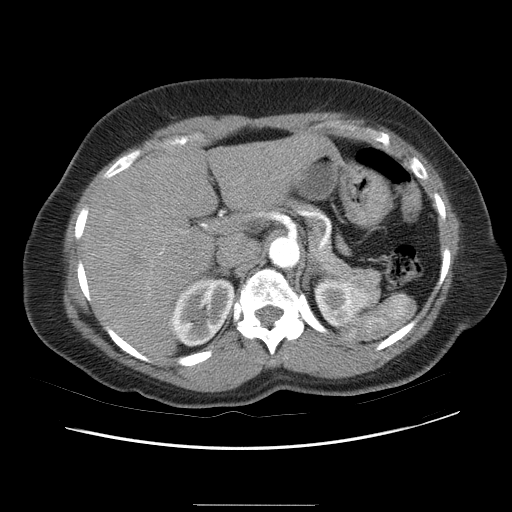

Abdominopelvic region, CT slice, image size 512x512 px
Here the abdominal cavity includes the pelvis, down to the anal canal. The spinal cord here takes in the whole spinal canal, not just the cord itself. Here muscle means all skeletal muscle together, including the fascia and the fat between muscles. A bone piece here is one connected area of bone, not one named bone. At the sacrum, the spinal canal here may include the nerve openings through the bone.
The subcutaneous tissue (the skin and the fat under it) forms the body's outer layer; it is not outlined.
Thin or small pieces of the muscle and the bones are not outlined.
{"abdominal_cavity":[[[244,128],[350,138],[390,153],[419,179],[437,212],[441,262],[437,281],[413,319],[379,341],[346,343],[280,271],[263,267],[241,284],[227,327],[199,351],[146,355],[106,324],[92,300],[82,261],[81,238],[98,188],[142,156],[208,143]]],"torso":[[[280,76],[338,77],[382,88],[410,103],[438,130],[476,179],[507,261],[505,283],[487,315],[435,365],[407,383],[349,396],[278,390],[239,406],[176,407],[120,392],[46,346],[23,306],[25,244],[40,208],[91,126],[114,106],[158,85],[205,77]]],"bones":[{"outer":[[263,268],[273,268],[280,272],[298,295],[304,295],[314,315],[329,331],[327,333],[320,332],[305,323],[303,331],[297,338],[289,340],[284,337],[279,342],[273,356],[261,339],[250,339],[243,336],[233,321],[234,303],[246,279],[257,270]],"hole":[[267,305],[271,305],[272,306],[275,306],[276,307],[278,307],[279,308],[280,308],[282,310],[282,314],[276,320],[275,320],[274,321],[274,322],[272,324],[272,326],[269,328],[268,327],[263,326],[262,325],[260,320],[256,316],[256,311]]},[[334,119],[341,119],[353,124],[364,125],[374,131],[377,130],[387,133],[389,135],[390,139],[389,151],[378,146],[357,141],[347,135],[340,134],[339,133],[340,132],[337,130],[323,129],[322,128],[319,129],[311,128],[319,123],[322,123]],[[195,132],[202,133],[204,135],[204,139],[199,139],[192,142],[188,142],[183,145],[175,145],[168,148],[147,150],[125,169],[116,173],[109,178],[104,178],[102,176],[120,157],[135,149],[143,148],[148,144],[152,144],[165,137],[174,135],[185,135]],[[105,325],[107,325],[109,326],[109,327],[111,328],[121,338],[122,338],[131,346],[135,348],[139,352],[147,356],[152,361],[152,362],[147,362],[146,361],[141,360],[127,353],[121,348],[120,348],[112,340],[112,339],[108,334],[107,331],[105,329]],[[415,318],[417,320],[416,323],[412,327],[412,328],[400,339],[397,340],[392,344],[382,349],[380,349],[379,350],[376,350],[375,349],[376,346],[380,341],[385,339],[392,333],[395,332],[397,330],[398,330],[400,328],[401,328],[403,326],[404,326]],[[207,350],[211,350],[212,352],[211,353],[211,355],[207,359],[201,362],[199,362],[194,365],[181,365],[179,364],[175,360],[176,358],[180,356],[184,356],[185,355],[192,354],[196,352],[199,352],[200,351],[206,351]],[[445,247],[447,247],[450,251],[450,263],[449,264],[449,267],[448,268],[447,273],[445,276],[445,278],[443,282],[441,285],[438,288],[437,288],[437,283],[438,282],[438,279],[440,274],[440,268],[441,267],[441,263],[442,262],[442,251],[445,248]],[[78,260],[81,260],[83,264],[83,268],[84,269],[85,275],[86,276],[86,279],[87,280],[87,285],[89,290],[89,294],[91,298],[91,300],[90,301],[87,300],[85,297],[79,284],[79,281],[77,276],[77,263],[78,262]],[[85,205],[87,205],[88,206],[88,212],[87,213],[87,217],[85,220],[85,224],[83,228],[83,231],[82,232],[81,237],[79,239],[76,239],[74,235],[74,228],[75,227],[75,223],[76,222],[76,219],[78,216],[78,214],[80,210]],[[412,156],[415,156],[422,163],[422,164],[424,166],[424,167],[425,168],[425,169],[427,172],[427,174],[428,175],[428,177],[426,179],[421,179],[420,178],[419,178],[418,177],[417,177],[414,174],[414,173],[408,167],[408,165],[409,164],[409,159]],[[435,192],[438,193],[438,194],[442,199],[442,200],[443,201],[443,203],[445,206],[445,220],[442,220],[441,219],[441,218],[439,216],[439,215],[438,214],[438,212],[436,209],[436,206],[435,205],[435,201],[434,200],[434,198],[433,197],[433,194]]],"muscle":[{"outer":[[312,110],[344,112],[353,116],[359,116],[362,118],[372,120],[379,125],[387,127],[421,152],[432,164],[444,183],[444,187],[447,192],[452,209],[460,221],[459,226],[460,248],[458,251],[457,258],[455,260],[455,267],[453,269],[453,277],[451,287],[447,294],[447,299],[441,307],[439,314],[433,323],[432,327],[421,339],[385,363],[381,367],[372,371],[358,374],[347,378],[317,379],[306,374],[294,373],[287,370],[282,370],[281,373],[273,373],[271,371],[263,371],[252,379],[234,389],[220,392],[200,392],[186,389],[168,382],[161,381],[156,378],[150,377],[144,373],[124,366],[112,359],[108,358],[99,349],[90,343],[87,339],[83,338],[80,333],[74,329],[66,315],[62,300],[63,294],[62,289],[64,280],[63,277],[64,271],[62,263],[63,240],[65,230],[75,204],[78,201],[84,189],[98,171],[127,148],[145,140],[156,129],[166,126],[172,122],[175,122],[184,118],[201,115],[217,116],[222,114],[238,114],[251,118],[257,118],[262,116],[287,114],[288,113],[299,113]],"hole":[[334,119],[387,133],[388,152],[407,167],[415,156],[427,172],[428,177],[419,181],[433,207],[435,192],[445,206],[445,220],[438,214],[437,221],[440,252],[445,247],[450,251],[449,267],[441,285],[437,288],[435,284],[415,316],[412,328],[376,350],[378,341],[350,344],[331,331],[320,332],[305,323],[301,334],[290,340],[284,337],[272,356],[261,339],[243,336],[232,319],[217,339],[200,350],[211,350],[211,355],[194,365],[150,355],[152,362],[147,362],[120,348],[105,329],[94,302],[85,297],[77,276],[82,239],[74,235],[76,219],[106,181],[103,174],[129,152],[174,135],[198,132],[204,139],[169,149],[208,143],[244,128],[349,138],[337,130],[311,128]]}],"spinal_cord":[[[267,305],[271,305],[272,306],[275,306],[276,307],[278,307],[279,308],[280,308],[282,310],[282,314],[276,320],[275,320],[274,321],[274,322],[272,324],[272,326],[269,328],[268,327],[263,326],[262,325],[260,320],[256,316],[256,311]]]}